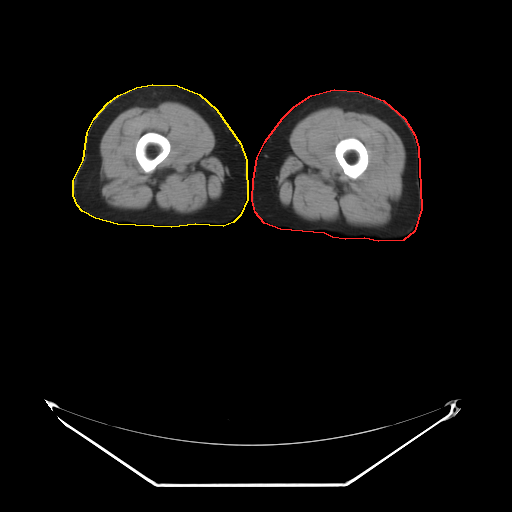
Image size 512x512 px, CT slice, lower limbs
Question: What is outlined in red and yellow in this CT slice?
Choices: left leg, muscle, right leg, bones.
Answer: red: left leg; yellow: right leg.
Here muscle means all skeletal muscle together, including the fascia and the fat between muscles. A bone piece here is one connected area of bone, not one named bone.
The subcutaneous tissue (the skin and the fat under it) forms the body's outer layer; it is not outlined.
{"left_leg":[[[334,89],[359,91],[383,100],[404,118],[414,134],[418,147],[421,209],[414,231],[403,240],[378,241],[364,238],[345,239],[332,237],[324,233],[280,229],[264,223],[255,212],[252,200],[253,180],[257,157],[265,141],[282,118],[294,106],[311,95]]],"right_leg":[[[152,84],[177,85],[199,94],[216,109],[240,143],[246,160],[247,199],[240,215],[233,222],[223,226],[195,224],[171,227],[117,224],[95,218],[82,211],[77,205],[73,195],[73,180],[83,160],[87,132],[94,118],[107,103],[118,95],[136,87]]],"muscle":[{"outer":[[329,106],[350,108],[378,117],[388,124],[397,133],[404,145],[406,152],[406,169],[402,195],[394,222],[385,228],[359,229],[336,224],[307,221],[289,214],[279,207],[275,202],[274,178],[279,166],[280,159],[289,140],[291,131],[301,119],[311,112]],"hole":[[349,137],[353,137],[358,139],[365,146],[367,150],[367,153],[368,154],[368,164],[366,169],[355,179],[353,179],[349,177],[344,173],[341,166],[338,163],[336,159],[335,153],[334,152],[336,144],[340,140],[345,138],[348,138]]},{"outer":[[149,101],[176,101],[186,104],[202,116],[211,128],[215,137],[219,155],[228,170],[228,180],[222,190],[222,194],[218,201],[211,207],[192,214],[132,213],[101,204],[99,195],[99,169],[101,163],[99,144],[101,137],[111,122],[121,112],[139,103]],"hole":[[147,132],[156,132],[157,133],[159,133],[165,136],[168,139],[170,143],[170,150],[169,151],[169,153],[167,155],[167,156],[156,166],[155,169],[151,172],[145,172],[138,163],[135,156],[135,146],[136,145],[136,143],[138,139],[143,134]]}],"bones":[[[147,132],[156,132],[157,133],[159,133],[165,136],[168,139],[170,143],[170,150],[169,151],[169,153],[167,155],[167,156],[156,166],[155,169],[151,172],[145,172],[138,163],[135,156],[135,146],[136,145],[136,143],[138,139],[143,134]],[[349,137],[353,137],[358,139],[365,146],[367,150],[367,153],[368,154],[368,164],[366,169],[355,179],[353,179],[349,177],[344,173],[341,166],[338,163],[336,159],[335,153],[334,152],[336,144],[340,140],[345,138],[348,138]]]}